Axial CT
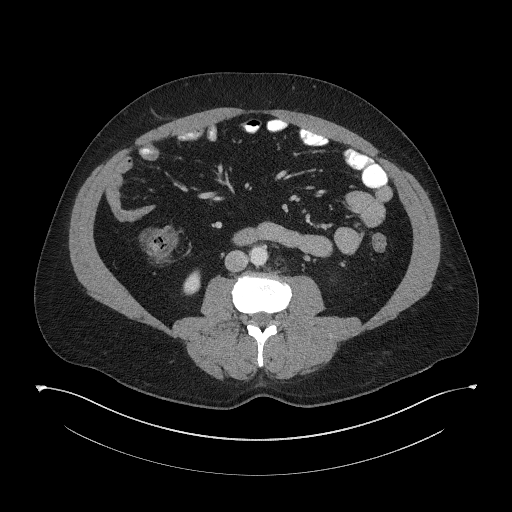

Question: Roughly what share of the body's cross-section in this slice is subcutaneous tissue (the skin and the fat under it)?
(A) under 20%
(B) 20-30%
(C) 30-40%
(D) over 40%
Answer: (C) 30-40%
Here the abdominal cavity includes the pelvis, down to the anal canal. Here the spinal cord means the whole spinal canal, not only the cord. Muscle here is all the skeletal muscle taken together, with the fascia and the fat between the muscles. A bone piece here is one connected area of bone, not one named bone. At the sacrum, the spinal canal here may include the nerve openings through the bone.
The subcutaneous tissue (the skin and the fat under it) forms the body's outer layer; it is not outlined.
The abdominal cavity is outlined by 170,326 183,316 204,316 199,310 204,290 219,275 266,275 284,282 289,275 306,274 325,302 317,315 368,319 397,287 411,253 411,228 389,175 340,142 258,113 155,140 129,154 104,190 97,247 135,298. The bones are outlined by 259,367 263,365 264,344 271,336 277,333 278,319 280,314 287,307 290,301 291,290 289,286 277,279 266,276 245,276 238,278 235,282 231,291 232,302 234,307 243,316 247,333 255,340 257,344 257,364; inner edge: 262,329 263,328 264,328 270,322 270,321 271,320 271,315 267,315 264,313 259,313 258,314 256,314 255,315 253,315 252,316 252,319 253,320 253,323 254,323 255,324 256,324 257,325 258,325. The spinal cord is outlined by 262,329 263,328 264,328 270,322 270,321 271,320 271,315 267,315 264,313 259,313 258,314 256,314 255,315 253,315 252,316 252,319 253,320 253,323 254,323 255,324 256,324 257,325 258,325. The torso is outlined by 213,410 230,410 258,397 300,408 353,399 460,354 474,335 477,283 432,170 387,116 335,84 280,72 211,72 157,86 122,108 96,134 72,170 53,214 33,290 36,321 50,349 74,366 97,371 143,394. The muscle is outlined by 220,381 244,381 252,379 260,373 278,379 305,377 327,364 342,342 395,319 418,304 428,294 436,277 441,250 440,232 435,211 427,192 416,178 393,156 355,132 311,114 287,109 215,107 177,118 134,137 111,151 92,170 76,195 71,211 68,230 68,248 70,261 73,267 72,270 82,288 96,301 129,319 151,326 171,338 185,350 200,369 with a hole at 259,367 291,298 287,276 316,281 325,302 317,315 365,321 407,268 411,228 376,161 253,113 152,141 125,157 108,179 95,238 115,275 170,326 183,316 204,316 199,309 211,279 237,278 232,302 257,344.